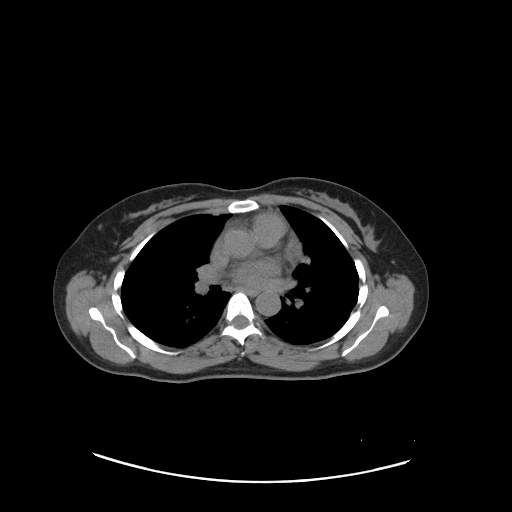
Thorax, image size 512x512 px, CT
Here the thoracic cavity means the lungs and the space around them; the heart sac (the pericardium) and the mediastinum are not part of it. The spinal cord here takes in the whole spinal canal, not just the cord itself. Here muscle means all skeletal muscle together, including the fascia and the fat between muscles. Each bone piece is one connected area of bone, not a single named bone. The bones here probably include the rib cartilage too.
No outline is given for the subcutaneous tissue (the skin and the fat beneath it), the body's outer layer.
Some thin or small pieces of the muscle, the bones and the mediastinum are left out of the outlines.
The thoracic cavity appears in 2 outlined pieces: piece 1: 197,213 212,215 230,214 223,224 221,231 214,240 208,256 208,262 218,278 221,289 229,292 230,296 217,325 208,333 184,347 163,345 146,335 129,320 123,311 120,289 126,271 131,262 157,232 180,218; piece 2: 280,205 300,208 319,219 337,237 353,261 359,279 355,305 342,325 326,339 311,343 291,343 271,331 264,322 264,320 275,316 282,309 281,298 291,283 293,271 297,264 298,258 302,253 302,244 280,211. The pericardium is outlined by 266,212 271,212 282,215 293,230 301,244 301,253 299,255 299,257 297,258 296,264 292,272 281,281 278,281 274,283 238,283 221,276 211,265 209,256 211,248 220,234 225,227 230,222 234,220 244,219. The mediastinum appears in 2 outlined pieces: piece 1: 216,272 221,277 238,284 274,284 278,282 281,282 292,273 292,278 290,283 280,298 281,309 275,315 273,315 263,320 255,311 250,299 243,291 238,290 231,294 229,291 222,289 220,285 219,278; piece 2: 272,206 278,206 278,209 281,214 276,212 272,212 271,211 261,212 252,216 240,218 239,219 234,219 230,221 223,229 224,224 231,216 231,214 247,213 248,212 258,210 262,207 268,207 269,208. The torso is outlined by 288,176 321,178 361,193 391,216 423,259 429,282 426,315 416,333 396,356 367,371 323,379 229,377 171,383 106,372 88,363 67,342 53,311 55,270 64,251 99,213 133,193 165,184 203,182 239,189. The spinal cord is outlined by 238,315 241,315 242,316 245,317 247,319 247,320 248,321 248,323 247,324 247,325 246,325 244,327 243,327 242,328 237,328 236,327 235,327 232,324 232,321 233,320 233,319 236,316 237,316. The bones appear in 9 outlined pieces: piece 1: 238,291 243,292 247,296 254,311 263,321 267,328 265,330 266,335 263,339 257,334 254,333 250,334 244,339 244,343 242,346 237,340 231,336 229,335 220,336 218,334 218,323 222,316 228,300 232,294, around a hole outlined by 238,315 241,315 242,316 245,317 247,319 247,320 248,321 248,323 247,324 247,325 246,325 244,327 243,327 242,328 237,328 236,327 235,327 232,324 232,321 233,320 233,319 236,316 237,316; piece 2: 355,258 358,258 363,265 365,272 365,282 368,288 366,299 360,309 360,316 353,327 340,339 325,347 316,350 309,350 310,348 325,342 343,325 351,312 357,308 358,306 356,303 359,284 361,282 353,260; piece 3: 246,198 254,200 259,204 260,207 255,210 247,212 240,212 239,213 229,213 227,212 219,214 212,214 211,213 202,212 205,210 212,208 219,208 220,207 223,208 226,207 234,200 245,199; piece 4: 128,322 130,322 146,336 149,337 154,341 160,344 165,349 167,350 171,350 172,351 179,350 180,352 178,354 176,354 175,355 171,355 170,354 161,353 144,346 138,341 137,341 129,333 127,329 127,323; piece 5: 90,307 96,307 101,312 106,324 114,329 118,340 121,343 130,348 134,352 136,355 135,358 132,358 125,350 117,345 113,338 112,334 108,330 104,328 100,321 98,320 94,320 91,318 88,312 88,310; piece 6: 121,268 123,268 125,270 125,273 122,280 121,286 117,291 120,295 121,304 122,305 122,311 124,315 124,319 121,318 116,312 111,299 111,294 114,290 113,289 113,282 114,281 114,278 116,273; piece 7: 381,305 384,305 387,307 389,311 388,314 386,316 380,317 376,321 373,328 370,332 365,337 364,337 352,350 348,352 344,356 341,356 341,353 345,349 348,348 355,341 357,337 370,326 375,316 378,307; piece 8: 317,214 319,214 323,217 324,217 335,227 335,228 340,233 340,234 346,241 348,245 348,249 347,250 346,248 343,245 341,241 338,238 338,237 333,232 333,231 324,222 323,222 316,216; piece 9: 154,230 155,230 156,231 156,232 141,248 141,249 138,252 138,253 135,256 135,257 132,260 132,261 129,261 129,257 130,256 130,254 131,253 131,252 133,250 133,249 143,239 144,239 152,231 153,231. The muscle is outlined by 264,192 301,197 328,208 346,220 358,233 364,246 365,258 371,270 378,275 402,273 413,283 415,288 414,303 407,324 372,357 352,363 329,361 303,371 281,370 243,357 191,373 170,373 147,364 120,365 104,359 73,331 65,311 66,284 74,274 83,269 88,269 100,279 108,277 117,263 122,240 139,224 160,211 182,203 212,198 248,197 with holes at 246,198 261,208 287,205 319,214 335,227 349,255 361,261 365,272 368,291 356,323 340,339 316,350 309,349 326,339 291,343 268,328 263,339 250,334 242,346 229,335 220,336 217,325 187,346 163,345 167,350 179,350 175,355 141,344 129,333 129,319 125,314 124,319 120,317 111,299 115,275 121,268 127,270 133,249 152,231 180,218 and at 90,307 96,307 101,312 106,324 114,329 118,340 121,343 130,348 134,352 136,355 135,358 132,358 125,350 117,345 113,338 112,334 108,330 104,328 100,321 98,320 94,320 91,318 88,312 88,310 and at 381,305 384,305 387,307 389,311 388,314 386,316 380,317 376,321 373,328 370,332 365,337 364,337 352,350 348,352 344,356 341,356 341,353 345,349 348,348 355,341 357,337 370,326 375,316 378,307.